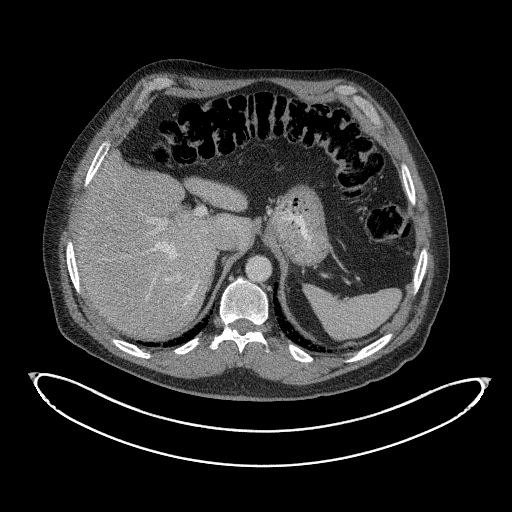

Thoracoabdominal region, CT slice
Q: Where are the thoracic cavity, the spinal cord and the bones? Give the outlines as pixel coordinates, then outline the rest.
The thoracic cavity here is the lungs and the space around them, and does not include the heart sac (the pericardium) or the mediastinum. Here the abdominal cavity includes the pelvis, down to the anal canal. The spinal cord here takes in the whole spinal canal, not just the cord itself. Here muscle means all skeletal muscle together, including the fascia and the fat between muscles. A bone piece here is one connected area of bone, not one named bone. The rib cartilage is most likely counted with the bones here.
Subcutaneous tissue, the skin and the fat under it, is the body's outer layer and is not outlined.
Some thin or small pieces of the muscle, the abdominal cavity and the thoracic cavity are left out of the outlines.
A: The thoracic cavity appears in 2 outlined pieces: piece 1: 331,355 335,354 329,351 326,351 323,348 316,346 308,340 306,340 285,319 279,306 279,302 276,295 277,291 277,282 276,282 273,303 275,315 274,317 282,332 291,341 300,346 310,354 311,353 328,353; piece 2: 140,347 159,347 160,346 161,347 167,347 168,346 177,346 189,340 200,332 201,330 207,325 209,318 212,315 212,310 211,308 200,321 184,331 177,337 164,342 137,341 137,342 139,343 138,344. The spinal cord is outlined by 241,334 243,334 244,333 245,333 247,331 250,331 251,330 254,330 255,329 255,326 250,321 249,321 246,319 238,319 237,320 234,321 230,325 230,326 232,328 234,328 235,329 236,329 238,331 238,332. The bones appear in 11 outlined pieces: piece 1: 240,353 244,346 252,341 260,342 265,346 265,351 270,352 260,328 269,316 269,306 266,293 258,285 238,276 229,283 220,298 218,314 223,326 221,331 213,337 209,348 215,349 223,340 230,339 237,344; inner edge: 241,334 243,334 244,333 245,333 247,331 250,331 251,330 254,330 255,329 255,326 250,321 249,321 246,319 238,319 237,320 234,321 230,325 230,326 232,328 234,328 235,329 236,329 238,331 238,332; piece 2: 377,127 380,127 382,125 382,122 379,115 375,110 374,107 366,99 357,93 357,90 353,86 351,85 340,84 334,88 334,91 342,95 349,95 352,98 353,101 362,110 362,111 370,120 370,121; piece 3: 136,110 142,105 142,103 147,98 148,95 152,91 154,90 160,90 165,87 167,87 171,85 174,81 171,78 168,77 157,77 150,81 146,82 144,84 142,89 140,91 140,93 136,101 134,103 134,109; piece 4: 345,362 352,362 353,361 356,361 372,354 374,352 384,346 391,339 391,338 393,336 393,334 391,332 387,333 386,334 384,334 373,342 364,346 362,348 358,350 349,358 345,359 344,360; piece 5: 85,187 87,187 87,186 89,184 91,179 93,177 94,174 99,167 103,158 105,156 109,148 111,146 111,144 108,139 106,139 104,140 101,143 91,162 91,164 87,171 87,173 84,179 84,186; piece 6: 413,295 414,295 417,292 420,286 420,284 422,281 423,276 425,273 426,265 427,264 427,258 428,257 427,247 423,247 421,249 419,254 418,261 414,271 414,274 412,279 412,294; piece 7: 77,293 81,293 81,288 79,283 79,277 77,273 77,268 75,263 75,258 73,252 73,245 72,244 72,241 71,240 68,240 66,245 66,262 67,263 67,267 68,268 68,271 69,272 69,275 71,281; piece 8: 412,205 414,205 416,202 415,190 414,189 413,182 412,181 408,167 405,163 402,162 400,164 400,173 402,177 402,181 403,182 403,185 404,186 404,189 405,190 406,195 408,198 408,200 410,203 412,204; piece 9: 142,358 149,358 151,357 151,354 149,352 147,351 144,351 136,345 134,344 132,344 122,339 119,339 118,338 113,338 111,340 111,341 117,347 118,347 120,349 132,355 134,355 138,357 141,357; piece 10: 302,362 312,362 314,359 313,358 313,357 297,345 294,344 292,342 289,342 289,343 288,344 288,350 289,351 289,352 291,354 291,355 293,357 293,358 294,358 299,361 301,361; piece 11: 176,354 183,354 184,353 186,353 190,350 193,349 199,343 199,336 201,334 201,333 199,333 195,337 194,337 189,341 188,341 187,342 186,342 185,343 184,343 183,344 176,347 174,349 173,349 173,352. The muscle is outlined by 292,385 304,385 323,381 368,364 392,351 409,339 422,321 425,313 425,308 429,298 430,287 432,283 433,272 434,271 434,258 433,257 433,247 432,246 432,227 430,222 429,211 427,207 427,202 428,201 427,194 423,183 418,174 415,162 409,151 408,146 393,120 383,107 362,86 353,81 350,81 343,78 336,78 320,81 306,81 305,80 296,80 290,78 266,77 265,76 260,76 255,78 246,78 245,79 206,79 205,78 198,78 168,72 160,72 147,75 140,79 136,83 131,91 121,102 120,105 114,110 102,127 95,134 88,145 86,151 80,160 72,176 70,193 59,225 59,247 58,248 60,283 65,304 68,309 69,314 73,320 81,328 113,354 136,364 147,367 150,369 153,369 158,372 182,378 199,378 206,376 219,375 228,369 230,370 236,367 237,368 249,369 260,377 266,379 279,381 285,384 291,384; inner edges: 302,362 312,362 311,353 332,355 356,350 345,362 372,354 391,339 392,327 417,292 428,253 427,247 418,253 411,208 416,198 408,167 402,162 397,169 388,145 370,124 380,127 379,115 351,85 340,84 334,91 349,95 367,119 343,97 310,102 271,82 204,98 157,96 117,147 111,148 108,139 101,143 87,171 87,189 74,239 66,245 75,290 84,294 96,317 120,337 111,341 138,357 151,357 141,347 175,346 176,354 188,352 199,343 201,330 217,311 223,326 209,348 230,339 240,353 252,341 270,352 260,328 270,314 291,341 289,352, then 136,110 142,105 142,103 147,98 148,95 152,91 153,92 154,90 155,91 156,90 160,90 165,87 167,87 171,85 174,81 171,78 168,77 157,77 150,81 146,82 144,84 136,101 134,103 134,109. The abdominal cavity is outlined by 336,354 389,332 411,297 418,232 383,137 343,97 310,102 271,82 204,98 157,96 110,148 80,204 73,244 88,307 138,346 137,340 170,339 202,318 231,266 260,245 280,264 277,295 286,319 306,339. The torso is outlined by 237,401 308,399 382,379 422,350 443,300 450,249 438,178 397,99 381,82 362,71 340,67 226,68 185,58 149,62 133,71 90,119 70,146 56,175 43,225 42,260 60,333 89,354 149,382 188,394. The mediastinum is outlined by 273,316 274,315 272,303 274,295 274,283 279,278 279,264 269,250 259,246 250,250 232,266 212,309 213,313 217,311 218,301 224,289 229,282 238,275 241,275 252,282 258,284 267,293 269,298 270,313.